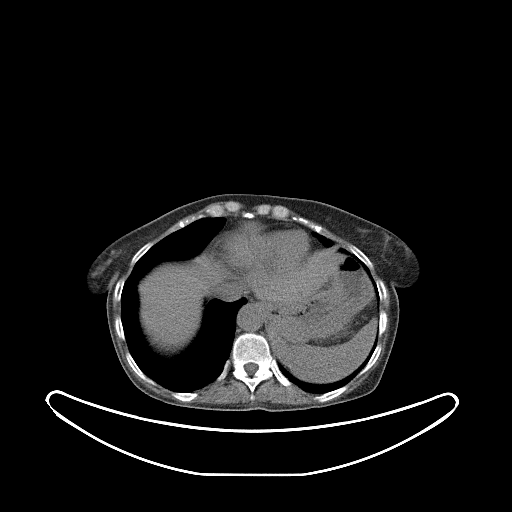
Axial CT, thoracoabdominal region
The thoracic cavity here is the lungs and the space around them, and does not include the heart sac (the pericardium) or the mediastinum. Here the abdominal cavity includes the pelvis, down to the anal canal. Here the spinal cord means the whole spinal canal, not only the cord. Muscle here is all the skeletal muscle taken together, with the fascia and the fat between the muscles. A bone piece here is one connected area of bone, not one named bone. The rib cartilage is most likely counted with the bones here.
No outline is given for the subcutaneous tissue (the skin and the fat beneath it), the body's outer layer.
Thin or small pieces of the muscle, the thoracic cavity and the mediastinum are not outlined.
The spinal cord is outlined by 248,363 254,363 255,364 256,364 257,365 257,369 254,372 254,373 252,375 249,375 248,374 248,373 245,370 245,369 244,368 244,366 246,364 247,364. The muscle appears in 8 outlined pieces: piece 1: 231,369 233,377 243,382 249,389 251,401 255,399 256,387 262,381 273,376 285,387 294,384 304,391 318,394 312,398 318,403 191,402 198,396 198,393 194,391 215,380 218,382 223,380; piece 2: 372,261 375,264 384,280 390,295 389,330 384,353 378,365 359,386 352,391 340,397 337,397 349,387 348,383 351,380 355,377 356,378 361,376 372,367 378,359 382,349 382,345 379,342 377,342 377,339 378,336 380,337 386,329 388,316 384,309 380,309 380,302 386,301 387,288 382,279 380,278 374,279 371,273 371,271 374,268 374,267 374,264; piece 3: 114,327 117,336 122,341 126,342 128,350 124,353 124,355 128,365 133,372 142,380 153,386 156,386 158,384 169,390 171,390 170,394 175,399 162,396 150,390 135,377 133,373 129,369 121,355 117,345; piece 4: 322,225 323,225 326,228 327,228 330,231 331,231 336,235 347,240 351,243 349,243 346,246 346,248 340,245 338,243 337,243 335,241 331,239 330,237 328,236 324,232 325,230 325,228; piece 5: 232,201 236,201 237,202 239,202 240,203 243,204 248,208 249,208 250,207 252,207 255,205 259,205 257,207 255,212 253,212 252,211 250,211 249,210 246,210 245,211 243,211 240,214 240,215 239,214 237,214 236,215 235,215 234,214 226,214 226,212 228,212 229,213 237,213 241,209 241,207 240,206 240,205 237,202 236,202 235,201; piece 6: 220,201 229,201 227,201 224,204 219,204 218,203 216,203 210,206 208,206 205,209 204,212 199,212 198,213 193,213 198,211 200,209 203,208 205,206 211,203 214,203 215,202 219,202; piece 7: 129,261 129,264 132,267 132,268 131,269 131,270 130,271 130,272 129,273 128,276 126,278 126,279 125,279 125,278 124,277 120,277 121,276 121,275 122,274 123,271 125,269 125,268 126,267 126,266; piece 8: 168,228 168,229 167,230 167,233 168,234 167,235 166,235 164,237 163,237 161,239 160,239 157,242 155,242 153,240 150,240 152,238 153,238 154,237 157,236 159,234 160,234 162,232 163,232. The pericardium is outlined by 275,223 288,223 290,225 298,226 305,230 313,241 315,247 309,256 292,270 276,272 268,265 259,261 250,266 245,271 238,271 209,253 216,238 225,230 236,227 241,227 247,230 257,230 258,227 262,224. The mediastinum appears in 3 outlined pieces: piece 1: 230,281 236,281 238,283 241,283 252,292 261,302 265,315 266,337 262,334 255,332 243,332 235,337 236,314 240,306 243,305 247,300 244,297 241,297 234,301 226,301 219,298 209,300 209,293 215,287; piece 2: 256,216 269,216 272,218 274,218 278,220 294,221 295,222 300,223 313,230 312,234 320,242 321,245 315,246 314,241 310,234 305,229 298,225 290,224 288,222 266,223 265,222 260,221 257,219 253,219; piece 3: 225,215 234,215 235,216 239,215 241,216 243,218 237,222 238,224 239,223 240,226 236,226 223,230 215,238 210,246 208,252 206,251 207,250 206,249 204,249 209,242 218,233 225,224 226,219 223,216. The bones appear in 13 outlined pieces: piece 1: 243,333 255,333 266,338 271,355 280,371 292,383 290,386 283,385 273,375 268,379 262,380 255,387 253,391 254,399 251,400 250,389 243,381 234,377 231,368 223,379 216,380 226,360 231,355 235,338, around a hole outlined by 248,363 254,363 255,364 256,364 257,365 257,369 254,372 254,373 252,375 249,375 248,374 248,373 245,370 245,369 244,368 244,366 246,364 247,364; piece 2: 263,204 284,206 289,210 291,215 302,216 320,224 324,228 323,232 329,237 318,233 300,222 291,220 289,217 287,219 278,219 271,214 256,215 253,218 243,217 241,215 243,212 249,211 255,213 258,207; piece 3: 230,201 235,202 239,205 240,209 237,212 229,212 226,211 225,214 222,216 205,216 194,220 187,225 173,232 168,233 169,228 175,224 180,219 193,214 204,213 208,207 210,207 216,204 224,205 227,202; piece 4: 127,351 129,351 131,356 133,358 134,361 136,363 138,367 149,378 153,380 157,384 156,385 153,385 145,381 139,376 138,376 134,372 134,371 129,365 127,361 127,359 125,355 125,353; piece 5: 346,384 348,384 348,387 343,392 342,392 338,396 337,396 333,399 331,399 328,401 325,401 324,402 319,402 315,400 313,398 316,395 322,394 323,393 325,393 326,392 328,392 329,391 337,389; piece 6: 349,244 352,244 353,245 354,245 355,246 356,246 358,248 359,248 369,258 369,259 373,264 373,268 371,270 370,270 370,269 364,263 363,263 355,255 354,255 349,250 348,250 347,249 347,246; piece 7: 377,343 379,343 381,345 381,349 380,350 380,352 379,353 379,355 377,359 369,369 368,369 361,375 359,376 357,376 356,377 357,374 365,366 365,365 367,363; piece 8: 149,241 153,241 155,243 134,264 134,265 133,266 132,266 130,264 130,261 131,260 131,259 132,258 132,257 133,256 133,255 144,244 145,244 147,242 148,242; piece 9: 171,391 175,391 176,392 195,392 196,393 197,393 197,396 195,398 194,398 191,401 180,401 179,400 178,400 177,399 176,399 175,398 174,398 172,396 172,395 171,394; piece 10: 380,310 384,310 385,311 385,312 386,313 386,315 387,316 387,321 386,322 386,325 385,326 385,329 384,330 384,331 382,333 382,334 380,336 379,336 378,335 378,326 379,325 379,312 380,311; piece 11: 120,278 124,278 125,280 124,281 124,284 123,285 123,287 122,288 122,291 121,292 121,297 120,298 120,301 117,301 116,302 114,301 113,299 113,292 116,289 116,286 117,285 117,281; piece 12: 118,315 120,316 120,318 121,319 121,323 122,324 122,327 123,328 123,332 124,333 124,336 125,337 125,340 124,341 122,340 118,336 116,332 115,327 114,326 114,319 115,317; piece 13: 377,279 380,279 381,280 382,280 382,281 386,288 386,299 385,300 385,301 384,300 383,300 382,301 380,301 380,300 379,299 379,294 378,293 377,286 376,285 376,283 375,282 375,280 376,280. The thoracic cavity appears in 4 outlined pieces: piece 1: 205,217 223,217 225,222 199,253 160,261 136,284 139,329 151,351 166,359 184,352 197,337 208,302 246,300 236,311 230,355 220,373 193,391 176,391 149,377 132,356 121,318 121,298 133,267 156,243; piece 2: 376,340 376,344 366,363 352,379 347,383 337,388 322,393 315,393 302,389 293,383 284,375 279,368 278,365 279,364 282,366 291,374 292,376 302,382 305,382 310,384 331,384 345,378 355,371 366,359; piece 3: 314,231 315,232 316,232 318,234 320,234 323,236 325,236 327,238 329,238 331,240 332,240 333,241 333,243 331,245 330,245 329,246 327,246 326,245 324,245 322,243 321,243 321,242 313,234 313,232; piece 4: 362,263 364,264 369,269 370,271 370,273 374,280 374,282 376,286 376,289 377,290 377,293 378,294 378,299 378,296 376,293 376,291 375,290 375,288 374,287 374,285 373,284 372,279 364,269 362,265. The abdominal cavity appears in 2 outlined pieces: piece 1: 334,242 361,262 379,300 377,338 345,377 310,383 278,364 266,335 264,306 236,280 208,293 201,327 184,351 166,358 148,346 138,322 137,284 160,262 206,250 238,272 260,262 283,273 298,267 314,248; piece 2: 244,218 245,218 246,219 252,219 253,220 257,220 260,222 262,222 263,223 265,223 262,223 261,224 260,224 257,227 257,229 247,229 246,228 243,228 240,225 240,223 239,222 238,223 238,222 241,221. The torso is outlined by 224,193 269,194 324,202 384,227 413,250 420,275 411,287 397,290 397,332 381,379 373,391 321,408 221,411 165,403 146,395 130,381 110,337 106,295 94,296 87,291 87,270 102,250 129,231 176,207.